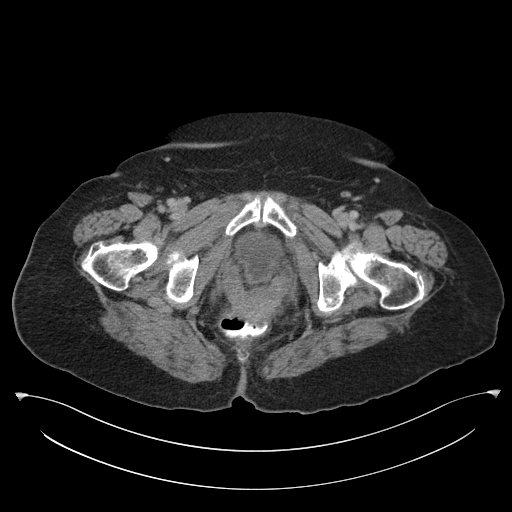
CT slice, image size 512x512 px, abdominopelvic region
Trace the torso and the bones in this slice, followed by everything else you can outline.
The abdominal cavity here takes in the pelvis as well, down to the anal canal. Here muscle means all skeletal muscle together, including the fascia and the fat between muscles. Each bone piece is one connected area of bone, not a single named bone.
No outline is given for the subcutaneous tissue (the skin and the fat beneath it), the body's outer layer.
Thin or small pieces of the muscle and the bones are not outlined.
The torso is outlined by (261, 110) (334, 119) (397, 152) (392, 168) (432, 204) (463, 220) (492, 260) (505, 298) (493, 346) (392, 394) (309, 414) (263, 412) (241, 396) (229, 408) (208, 412) (148, 406) (36, 358) (16, 333) (11, 300) (42, 221) (79, 184) (158, 145) (168, 129) (211, 114). The bones appear in 4 outlined pieces: piece 1: (353, 241) (359, 243) (366, 252) (376, 252) (418, 271) (424, 281) (424, 296) (405, 308) (388, 310) (379, 304) (378, 289) (359, 278) (355, 285) (345, 290) (344, 300) (338, 309) (331, 312) (320, 311) (317, 307) (318, 263) (321, 261) (326, 264) (336, 250); piece 2: (100, 240) (106, 245) (115, 242) (134, 242) (137, 243) (145, 240) (150, 241) (158, 247) (158, 256) (155, 261) (151, 265) (146, 269) (134, 275) (129, 280) (128, 287) (126, 289) (124, 289) (121, 291) (116, 291) (100, 284) (81, 267) (81, 262) (86, 256) (91, 244); piece 3: (256, 196) (259, 197) (262, 203) (268, 196) (270, 196) (280, 205) (297, 228) (296, 234) (293, 237) (286, 237) (277, 227) (269, 223) (262, 225) (263, 223) (260, 220) (257, 223) (250, 223) (242, 227) (233, 236) (225, 234) (225, 228) (229, 221) (246, 203) (251, 201); piece 4: (174, 250) (179, 251) (187, 258) (190, 258) (196, 254) (198, 256) (198, 260) (199, 261) (193, 284) (193, 295) (188, 301) (183, 303) (176, 303) (172, 301) (170, 302) (165, 297) (166, 296) (165, 285) (168, 279) (168, 271) (170, 266) (166, 264) (165, 261) (168, 254). The muscle is outlined by (264, 188) (304, 197) (344, 226) (355, 225) (389, 208) (398, 208) (432, 220) (447, 241) (445, 283) (414, 312) (408, 329) (401, 335) (393, 335) (356, 353) (330, 359) (299, 376) (276, 378) (267, 382) (256, 374) (252, 364) (229, 362) (220, 380) (198, 383) (171, 376) (104, 331) (98, 321) (98, 311) (102, 308) (97, 294) (73, 263) (75, 245) (72, 232) (87, 208) (115, 193) (137, 191) (158, 197) (169, 210) (179, 216) (196, 204) (223, 193) with holes at (256, 196) (262, 203) (270, 196) (295, 224) (296, 234) (293, 237) (286, 237) (285, 243) (293, 260) (298, 280) (307, 297) (298, 323) (287, 332) (257, 347) (239, 349) (216, 335) (210, 324) (210, 309) (219, 288) (219, 273) (234, 237) (226, 235) (225, 228) (243, 206) and at (353, 241) (359, 243) (366, 252) (376, 252) (418, 271) (424, 281) (424, 296) (405, 308) (388, 310) (379, 304) (378, 289) (359, 278) (355, 285) (345, 290) (344, 300) (338, 309) (331, 312) (320, 311) (317, 307) (318, 263) (321, 261) (326, 264) (336, 250) and at (100, 240) (106, 245) (115, 242) (134, 242) (137, 243) (145, 240) (150, 241) (158, 247) (158, 256) (155, 261) (151, 265) (146, 269) (134, 275) (129, 280) (128, 287) (126, 289) (124, 289) (121, 291) (116, 291) (100, 284) (81, 267) (81, 262) (86, 256) (91, 244) and at (174, 250) (179, 251) (187, 258) (190, 258) (196, 254) (198, 256) (198, 260) (199, 261) (193, 284) (193, 295) (188, 301) (183, 303) (176, 303) (172, 301) (170, 302) (165, 297) (166, 296) (165, 285) (168, 279) (168, 271) (170, 266) (166, 264) (165, 261) (168, 254). The abdominal cavity is outlined by (250, 224) (255, 226) (269, 224) (277, 228) (285, 237) (285, 243) (293, 260) (298, 280) (307, 297) (301, 309) (298, 323) (287, 332) (257, 347) (239, 349) (216, 335) (210, 324) (210, 309) (219, 288) (219, 273) (226, 260) (230, 244) (234, 236) (242, 228).